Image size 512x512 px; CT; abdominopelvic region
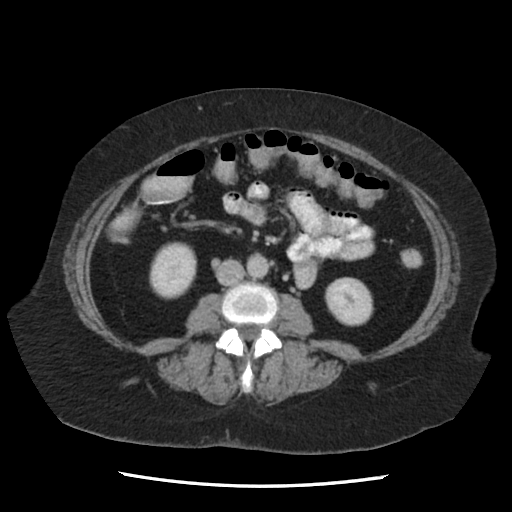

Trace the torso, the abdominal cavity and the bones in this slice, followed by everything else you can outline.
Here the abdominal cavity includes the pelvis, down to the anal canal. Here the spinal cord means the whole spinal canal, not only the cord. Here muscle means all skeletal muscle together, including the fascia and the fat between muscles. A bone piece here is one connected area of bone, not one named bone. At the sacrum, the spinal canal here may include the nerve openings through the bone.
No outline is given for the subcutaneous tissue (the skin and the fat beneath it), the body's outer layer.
torso: 232 87; 304 89; 367 104; 425 132; 472 178; 487 207; 498 253; 497 281; 473 330; 474 341; 491 353; 451 420; 385 446; 337 454; 179 448; 117 441; 73 428; 40 393; 16 345; 7 308; 36 277; 73 165; 103 135; 137 113
abdominal cavity: 268 129; 313 139; 407 190; 429 231; 435 261; 431 292; 416 320; 392 342; 364 354; 352 343; 313 337; 312 317; 299 298; 245 281; 223 295; 202 295; 181 336; 136 344; 115 333; 95 303; 90 261; 100 231; 125 191; 181 150
bones: 245 282; 262 284; 276 292; 278 310; 268 327; 275 332; 281 341; 280 348; 276 348; 255 359; 251 358; 252 389; 247 393; 243 391; 240 379; 245 368; 246 357; 227 353; 215 345; 222 331; 231 325; 221 311; 223 296; 228 289 with a hole at 246 323; 253 323; 257 325; 260 325; 261 327; 260 328; 260 331; 259 332; 259 334; 258 336; 256 338; 255 338; 251 341; 246 341; 244 340; 239 335; 239 332; 237 328; 237 326; 238 325; 240 324; 245 324
spinal cord: 246 323; 253 323; 257 325; 260 325; 261 327; 260 328; 260 331; 259 332; 259 334; 258 336; 256 338; 255 338; 251 341; 246 341; 244 340; 239 335; 239 332; 237 328; 237 326; 238 325; 240 324; 245 324
muscle: 265 125; 286 127; 291 129; 304 130; 305 131; 313 130; 352 143; 370 152; 374 157; 384 164; 389 166; 396 173; 403 175; 405 178; 421 188; 438 205; 440 212; 446 219; 447 222; 450 225; 451 229; 455 234; 455 240; 457 242; 460 255; 460 263; 461 264; 460 277; 461 279; 457 286; 458 289; 455 301; 452 306; 446 311; 445 317; 438 323; 437 326; 438 327; 428 337; 417 344; 408 347; 392 355; 377 359; 374 361; 359 362; 352 364; 348 369; 345 370; 337 379; 327 387; 290 396; 281 402; 271 406; 260 405; 251 396; 247 396; 244 394; 232 405; 216 405; 204 400; 197 394; 194 394; 191 392; 173 390; 152 370; 152 367; 148 363; 147 358; 145 356; 136 352; 126 351; 124 349; 122 350; 119 349; 107 342; 99 334; 88 328; 79 318; 71 300; 70 294; 66 288; 64 282; 62 258; 66 245; 71 237; 75 223; 77 220; 100 194; 119 179; 131 174; 139 168; 179 144; 194 140; 202 136; 211 136; 234 130, around a hole outlined by 268 129; 313 139; 401 184; 429 231; 435 275; 416 320; 392 342; 364 354; 352 343; 313 337; 316 329; 301 300; 279 292; 278 310; 268 327; 280 339; 281 347; 251 358; 252 389; 245 393; 240 376; 246 357; 215 345; 222 331; 231 325; 221 311; 221 293; 209 292; 197 300; 187 315; 183 335; 160 336; 136 344; 115 333; 105 322; 92 294; 90 261; 104 223; 142 174; 181 150